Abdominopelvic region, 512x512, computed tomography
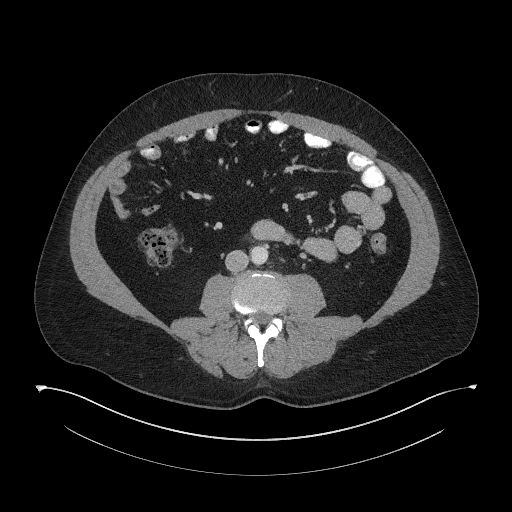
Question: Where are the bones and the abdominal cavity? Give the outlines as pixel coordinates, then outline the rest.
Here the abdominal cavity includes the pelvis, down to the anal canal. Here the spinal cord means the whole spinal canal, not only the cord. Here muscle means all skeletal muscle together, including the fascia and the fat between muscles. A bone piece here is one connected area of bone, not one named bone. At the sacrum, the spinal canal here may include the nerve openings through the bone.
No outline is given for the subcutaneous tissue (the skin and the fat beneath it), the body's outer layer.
Answer: The bones are outlined by (258, 367) (262, 367) (264, 364) (263, 350) (265, 345) (271, 338) (277, 337) (282, 329) (282, 320) (278, 316) (287, 306) (290, 298) (290, 287) (287, 281) (277, 274) (269, 272) (252, 272) (243, 276) (232, 291) (232, 304) (235, 310) (243, 317) (244, 327) (255, 342); inner edge: (261, 331) (263, 331) (264, 330) (265, 327) (267, 325) (268, 322) (270, 320) (270, 317) (269, 316) (269, 315) (266, 314) (264, 312) (263, 312) (262, 311) (259, 311) (256, 314) (253, 315) (254, 316) (255, 321) (256, 322) (256, 323) (260, 327) (260, 328) (261, 329). The abdominal cavity is outlined by (168, 324) (184, 315) (204, 317) (196, 308) (212, 275) (238, 280) (252, 271) (311, 275) (327, 300) (316, 315) (357, 314) (366, 319) (391, 294) (410, 252) (409, 225) (387, 175) (359, 151) (255, 114) (164, 139) (130, 155) (114, 172) (103, 198) (97, 242) (137, 299). The torso is outlined by (213, 410) (233, 410) (261, 398) (313, 408) (363, 396) (460, 354) (474, 335) (479, 316) (475, 275) (430, 168) (385, 115) (331, 83) (286, 73) (218, 72) (158, 86) (122, 109) (95, 137) (53, 216) (33, 296) (36, 320) (50, 349) (74, 366) (99, 372) (140, 393). The spinal cord is outlined by (261, 331) (263, 331) (264, 330) (265, 327) (267, 325) (268, 322) (270, 320) (270, 317) (269, 316) (269, 315) (266, 314) (264, 312) (263, 312) (262, 311) (259, 311) (256, 314) (253, 315) (254, 316) (255, 321) (256, 322) (256, 323) (260, 327) (260, 328) (261, 329). The muscle is outlined by (230, 381) (247, 380) (259, 374) (266, 375) (277, 379) (290, 379) (314, 372) (328, 362) (332, 358) (336, 352) (336, 350) (344, 342) (360, 333) (379, 325) (406, 308) (421, 296) (424, 295) (430, 289) (432, 285) (432, 281) (440, 258) (440, 233) (432, 204) (427, 192) (423, 185) (403, 166) (351, 130) (341, 125) (310, 115) (292, 112) (289, 110) (282, 111) (274, 109) (265, 110) (264, 109) (217, 108) (199, 112) (162, 125) (154, 130) (144, 134) (131, 144) (123, 148) (101, 163) (91, 173) (83, 184) (76, 197) (71, 213) (68, 244) (69, 245) (69, 254) (73, 266) (73, 270) (79, 284) (83, 289) (94, 298) (129, 317) (142, 322) (145, 322) (163, 330) (183, 345) (192, 360) (204, 371) (216, 378) (225, 379) with a hole at (258, 367) (282, 329) (278, 316) (290, 298) (284, 277) (306, 273) (319, 283) (327, 304) (316, 315) (366, 319) (403, 274) (411, 238) (376, 162) (246, 114) (130, 155) (109, 183) (96, 237) (117, 275) (168, 324) (204, 317) (196, 308) (212, 275) (237, 279) (231, 301).